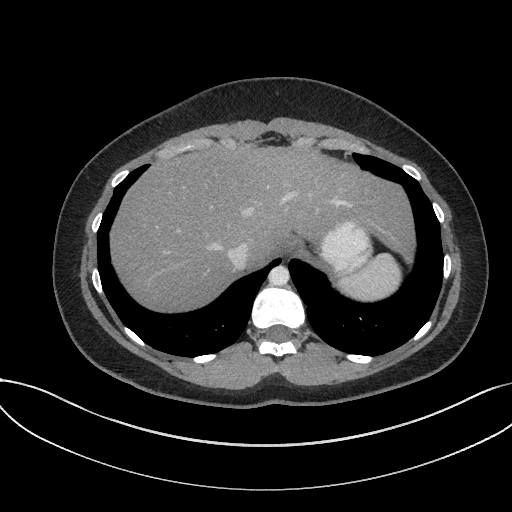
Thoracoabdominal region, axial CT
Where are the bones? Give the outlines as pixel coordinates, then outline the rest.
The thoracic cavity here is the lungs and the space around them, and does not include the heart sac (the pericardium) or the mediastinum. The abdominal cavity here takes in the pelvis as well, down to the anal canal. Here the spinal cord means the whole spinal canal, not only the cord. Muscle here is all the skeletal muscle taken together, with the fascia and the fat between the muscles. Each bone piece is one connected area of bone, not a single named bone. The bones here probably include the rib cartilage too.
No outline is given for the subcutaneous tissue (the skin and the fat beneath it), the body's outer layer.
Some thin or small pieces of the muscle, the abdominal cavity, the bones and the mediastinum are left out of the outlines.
The bones appear in 11 outlined pieces: piece 1: [[275,356],[297,352],[297,345],[299,344],[297,342],[297,335],[299,333],[298,330],[306,321],[306,316],[304,305],[297,293],[290,289],[266,286],[259,290],[254,299],[250,322],[256,328],[258,332],[257,333],[260,336],[258,342],[259,353],[267,353]]; inner edge: [[275,342],[282,342],[283,341],[285,341],[286,340],[288,340],[290,339],[292,336],[292,334],[291,333],[291,330],[289,328],[283,325],[274,325],[266,329],[265,330],[265,337],[266,339],[268,340],[271,340]]; piece 2: [[363,154],[370,154],[370,149],[368,147],[365,145],[355,142],[350,142],[344,139],[324,138],[319,141],[317,141],[314,138],[299,137],[294,141],[296,143],[300,144],[303,143],[313,144],[316,142],[318,145],[323,147],[344,149],[350,152],[358,152]]; piece 3: [[159,157],[166,157],[188,149],[193,149],[198,147],[208,146],[214,143],[214,141],[212,139],[209,138],[198,138],[197,139],[193,139],[191,141],[187,142],[184,144],[180,144],[179,145],[170,145],[164,147],[158,150],[156,152],[156,155]]; piece 4: [[360,363],[367,363],[368,362],[370,362],[373,359],[373,356],[370,356],[369,355],[358,355],[357,354],[350,354],[349,353],[346,353],[345,354],[345,357],[346,358],[347,358],[349,360],[351,360],[352,361],[354,361],[355,362],[359,362]]; piece 5: [[100,294],[102,294],[103,293],[103,290],[102,289],[102,286],[101,285],[101,282],[100,281],[100,278],[99,277],[99,273],[98,272],[97,267],[94,267],[92,269],[91,278],[92,279],[92,282],[93,283],[93,285],[95,289],[97,291],[97,292]]; piece 6: [[443,279],[446,279],[448,277],[448,276],[449,275],[449,273],[450,272],[450,270],[451,269],[451,259],[450,258],[450,256],[449,255],[449,254],[448,253],[445,253],[444,254],[444,256],[443,257]]; piece 7: [[410,340],[416,340],[417,339],[418,339],[419,338],[420,338],[423,335],[424,335],[427,332],[427,331],[430,328],[430,327],[432,325],[432,321],[431,320],[430,320],[429,319],[418,330],[418,331],[410,339]]; piece 8: [[418,181],[421,179],[421,176],[420,175],[420,174],[419,173],[419,172],[413,166],[412,166],[409,164],[406,164],[405,163],[404,164],[403,164],[401,166],[401,168],[404,171],[405,171],[408,174],[409,174],[412,177],[413,177],[415,179],[416,179]]; piece 9: [[112,187],[114,187],[115,186],[116,186],[129,173],[129,170],[128,170],[127,169],[124,169],[123,170],[122,170],[121,171],[120,171],[119,172],[118,172],[113,177],[113,178],[112,179],[112,180],[111,181],[111,186]]; piece 10: [[142,346],[144,346],[146,344],[134,332],[133,332],[129,328],[128,328],[126,326],[124,326],[123,327],[123,330],[125,332],[125,333],[131,339],[132,339],[135,342],[136,342],[138,344],[139,344],[140,345],[141,345]]; piece 11: [[440,223],[442,223],[444,220],[444,214],[443,213],[443,211],[442,210],[442,209],[440,207],[440,206],[435,201],[434,201],[433,202],[432,202],[432,206],[433,207],[433,209],[434,210],[434,212],[435,213],[435,214],[436,215],[436,216]]. The abdominal cavity is outlined by [[160,313],[201,308],[237,279],[284,257],[321,271],[332,289],[349,299],[383,300],[399,289],[415,261],[417,244],[407,194],[400,184],[360,168],[349,152],[296,144],[274,132],[234,146],[219,144],[152,160],[122,198],[109,231],[109,250],[128,294]]. The thoracic cavity appears in 2 outlined pieces: piece 1: [[370,355],[405,342],[429,318],[441,285],[443,253],[439,223],[418,182],[385,160],[352,153],[360,167],[400,183],[406,190],[418,244],[412,271],[391,297],[362,304],[334,292],[325,276],[308,264],[292,259],[288,266],[314,331],[337,349]]; piece 2: [[191,357],[217,352],[239,337],[249,321],[252,302],[261,283],[280,259],[237,280],[201,309],[160,314],[140,306],[121,286],[110,264],[108,231],[123,194],[148,167],[146,163],[130,172],[114,188],[97,232],[98,269],[104,292],[125,325],[157,349]]. The spinal cord is outlined by [[275,342],[282,342],[283,341],[285,341],[286,340],[288,340],[290,339],[292,336],[292,334],[291,333],[291,330],[289,328],[283,325],[274,325],[266,329],[265,330],[265,337],[266,339],[268,340],[271,340]]. The torso is outlined by [[234,409],[268,404],[331,405],[420,381],[457,357],[484,306],[488,252],[478,210],[463,180],[414,128],[372,100],[336,84],[298,76],[263,76],[201,90],[134,124],[103,146],[76,175],[59,212],[52,253],[53,290],[65,328],[84,357],[150,394]]. The muscle is outlined by [[226,389],[243,389],[247,387],[251,387],[261,381],[265,377],[269,375],[275,375],[276,374],[279,374],[283,376],[289,382],[293,384],[296,385],[306,385],[307,386],[320,385],[321,384],[336,384],[344,381],[364,377],[391,366],[408,357],[433,339],[446,325],[452,314],[452,312],[458,301],[459,297],[460,281],[461,280],[461,276],[460,275],[461,272],[460,253],[456,244],[454,242],[454,234],[452,230],[452,223],[451,222],[452,215],[450,208],[447,203],[430,183],[424,171],[415,162],[405,157],[395,154],[381,146],[372,143],[364,138],[359,137],[350,132],[334,127],[331,125],[314,121],[307,121],[291,117],[280,116],[279,117],[275,117],[267,122],[255,119],[245,119],[244,120],[234,121],[230,123],[211,124],[184,132],[179,135],[167,139],[137,157],[126,162],[118,167],[111,174],[104,186],[100,197],[90,212],[87,218],[85,226],[86,240],[82,250],[79,277],[80,278],[81,292],[87,307],[104,330],[117,342],[131,352],[154,363],[170,374],[184,380],[207,387],[225,388]]; inner edge: [[198,363],[215,358],[218,351],[239,337],[249,321],[260,336],[261,354],[296,353],[298,330],[307,321],[339,353],[344,351],[346,358],[360,363],[370,362],[374,355],[424,335],[432,325],[429,316],[441,281],[449,275],[451,259],[441,249],[439,224],[444,220],[443,211],[422,191],[419,172],[409,164],[400,168],[373,156],[368,147],[359,143],[306,137],[292,141],[274,132],[239,144],[232,138],[220,139],[217,146],[212,146],[214,141],[209,138],[193,139],[158,150],[156,160],[131,172],[118,172],[111,181],[114,190],[106,209],[96,214],[91,225],[97,234],[98,254],[98,266],[91,274],[93,285],[98,293],[105,293],[125,325],[123,330],[135,342],[190,356]]. The mediastinum is outlined by [[296,292],[297,292],[296,291],[296,289],[290,277],[288,267],[287,266],[288,261],[289,260],[287,260],[285,258],[281,260],[281,261],[276,266],[274,266],[269,271],[260,288],[260,289],[266,285],[271,285],[272,286],[276,286],[277,287],[290,288]].